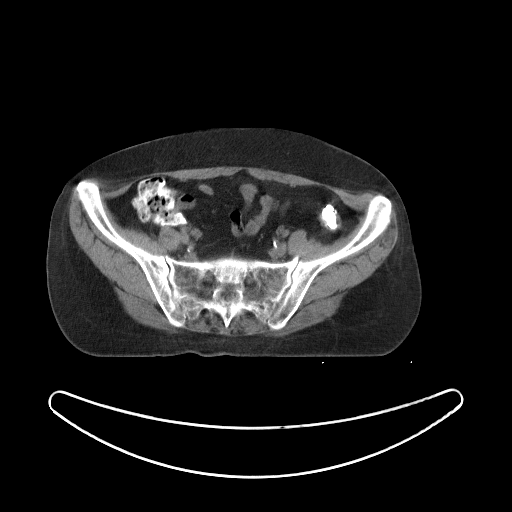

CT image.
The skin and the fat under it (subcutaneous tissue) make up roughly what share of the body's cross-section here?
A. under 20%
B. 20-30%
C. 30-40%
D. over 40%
D. over 40%
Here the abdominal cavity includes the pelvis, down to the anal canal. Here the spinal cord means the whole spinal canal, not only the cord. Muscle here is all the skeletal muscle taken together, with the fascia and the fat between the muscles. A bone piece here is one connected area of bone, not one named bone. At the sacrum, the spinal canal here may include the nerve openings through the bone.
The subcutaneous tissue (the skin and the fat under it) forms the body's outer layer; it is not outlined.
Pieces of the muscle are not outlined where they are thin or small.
Outlines:
spinal cord: [[231,290],[233,290],[234,291],[235,291],[238,293],[238,296],[239,297],[239,301],[238,302],[237,302],[236,303],[234,303],[233,304],[228,304],[227,303],[224,303],[223,302],[222,302],[220,300],[220,299],[218,297],[218,294],[221,291],[230,291]]
bones: [[84,178],[96,181],[119,234],[153,254],[185,261],[231,254],[311,260],[353,238],[374,195],[389,198],[392,211],[380,235],[314,277],[282,328],[270,328],[247,310],[225,327],[207,309],[195,318],[191,311],[176,327],[137,261],[87,215],[75,191]], around a hole outlined by [[231,290],[233,290],[234,291],[235,291],[238,293],[238,296],[239,297],[239,301],[238,302],[237,302],[236,303],[234,303],[233,304],[228,304],[227,303],[224,303],[223,302],[222,302],[220,300],[220,299],[218,297],[218,294],[221,291],[230,291]]
torso: [[255,126],[286,128],[324,139],[365,159],[395,186],[408,214],[422,284],[420,311],[404,341],[390,353],[372,357],[207,357],[191,352],[171,356],[106,357],[76,349],[64,337],[52,313],[45,267],[51,212],[67,180],[90,161],[146,140],[200,128]]
abdominal cavity: [[239,171],[292,187],[323,187],[357,212],[353,227],[330,243],[308,238],[302,228],[292,231],[285,243],[291,258],[285,261],[232,253],[176,259],[171,254],[182,244],[178,230],[164,226],[157,235],[150,235],[124,226],[108,204],[153,174],[185,181]]
muscle 1: [[74,186],[76,197],[88,218],[108,240],[136,261],[167,321],[176,328],[185,325],[191,312],[195,319],[207,310],[219,315],[225,328],[234,317],[247,311],[270,329],[282,329],[322,270],[358,252],[388,228],[393,211],[390,199],[397,212],[398,240],[383,263],[369,277],[349,289],[336,312],[321,322],[277,337],[261,334],[225,336],[191,331],[168,333],[132,319],[124,311],[107,278],[79,247],[70,229],[68,213]]
muscle 2: [[216,166],[260,167],[299,175],[352,192],[365,190],[380,192],[369,199],[363,221],[351,239],[334,251],[304,260],[297,254],[291,257],[288,253],[286,243],[292,232],[302,229],[308,239],[313,238],[323,244],[330,244],[345,236],[358,222],[358,212],[344,203],[333,191],[317,185],[292,186],[276,180],[260,179],[245,170],[239,170],[230,175],[185,180],[153,173],[138,180],[124,193],[107,201],[109,209],[124,227],[141,230],[150,236],[157,236],[161,228],[164,227],[170,227],[179,232],[181,235],[179,248],[170,255],[167,253],[153,253],[136,245],[119,233],[106,213],[97,181],[87,177],[96,176],[104,179],[135,177],[155,170],[172,171]]